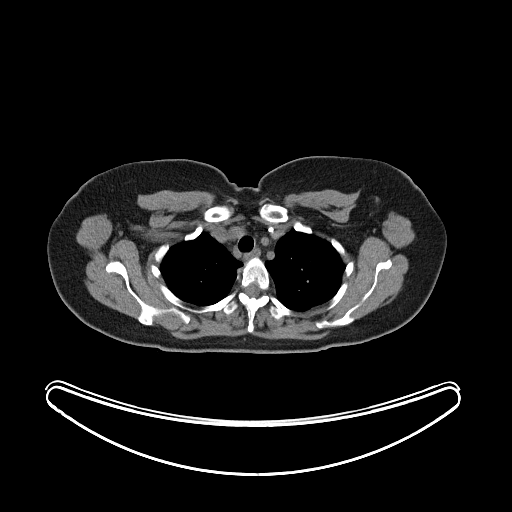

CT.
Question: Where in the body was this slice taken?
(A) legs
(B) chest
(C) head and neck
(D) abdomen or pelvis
Answer: (B) chest
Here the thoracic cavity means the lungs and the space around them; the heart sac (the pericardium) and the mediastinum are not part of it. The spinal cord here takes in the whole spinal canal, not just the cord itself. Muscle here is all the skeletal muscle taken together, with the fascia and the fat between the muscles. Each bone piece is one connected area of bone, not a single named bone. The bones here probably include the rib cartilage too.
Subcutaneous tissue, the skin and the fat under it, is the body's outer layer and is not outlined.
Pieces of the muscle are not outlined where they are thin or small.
The left arm is outlined by (406, 174) (407, 174) (422, 190) (428, 199) (429, 202) (432, 205) (443, 221) (443, 223) (446, 229) (446, 234) (447, 235) (446, 252) (443, 261) (428, 245) (410, 218) (410, 215) (406, 208) (405, 201) (402, 196) (402, 193) (401, 192) (401, 184) (402, 183) (402, 180). The mediastinum is outlined by (248, 218) (265, 224) (282, 224) (284, 226) (291, 227) (287, 232) (277, 240) (274, 247) (274, 257) (272, 259) (268, 259) (264, 262) (258, 256) (253, 256) (243, 262) (234, 257) (222, 243) (219, 242) (209, 233) (208, 230) (215, 226) (227, 225) (233, 222) (245, 220). The spinal cord is outlined by (253, 283) (254, 283) (255, 284) (256, 284) (257, 285) (257, 286) (260, 289) (260, 291) (261, 292) (260, 293) (260, 295) (258, 297) (254, 297) (253, 296) (249, 296) (245, 292) (245, 289) (246, 288) (246, 287) (247, 287) (250, 284) (252, 284). The muscle is outlined by (358, 188) (361, 194) (343, 234) (349, 249) (356, 250) (389, 210) (410, 220) (416, 244) (410, 253) (403, 287) (390, 302) (319, 339) (268, 339) (250, 334) (180, 339) (161, 326) (152, 326) (154, 317) (166, 313) (174, 314) (185, 324) (191, 319) (185, 311) (222, 311) (230, 315) (240, 303) (246, 311) (246, 330) (252, 333) (257, 311) (268, 304) (275, 320) (326, 302) (326, 311) (333, 308) (348, 288) (342, 279) (350, 276) (355, 262) (344, 262) (346, 251) (336, 238) (327, 240) (299, 220) (292, 227) (278, 223) (289, 219) (289, 211) (277, 203) (266, 202) (258, 209) (259, 216) (270, 223) (248, 217) (207, 230) (199, 223) (182, 240) (172, 245) (162, 243) (154, 253) (159, 265) (152, 263) (150, 271) (163, 279) (158, 287) (171, 304) (169, 307) (145, 302) (131, 287) (128, 271) (118, 259) (108, 261) (104, 269) (122, 277) (140, 307) (136, 319) (94, 299) (83, 282) (86, 258) (75, 238) (82, 220) (105, 213) (121, 230) (129, 230) (130, 225) (147, 221) (147, 214) (136, 203) (138, 194) (164, 189) (202, 190) (249, 203) (263, 196) (280, 198) (302, 191) (349, 192), around holes outlined by (387, 259) (391, 260) (391, 266) (387, 269) (381, 269) (378, 272) (377, 281) (372, 292) (350, 314) (354, 318) (350, 323) (340, 326) (330, 326) (323, 328) (318, 328) (316, 326) (316, 321) (324, 319) (329, 321) (339, 318) (358, 303) (373, 283) (377, 263) and by (219, 204) (226, 204) (228, 206) (231, 207) (233, 209) (233, 213) (232, 215) (226, 220) (223, 220) (222, 221) (219, 221) (218, 222) (208, 222) (204, 220) (204, 218) (203, 217) (203, 214) (204, 212) (209, 208) (215, 205) (218, 205). The thoracic cavity appears in 2 outlined pieces: piece 1: (292, 228) (298, 232) (306, 234) (312, 234) (313, 233) (328, 241) (339, 254) (345, 264) (341, 283) (335, 293) (329, 300) (304, 311) (297, 311) (291, 309) (281, 302) (276, 296) (270, 292) (271, 278) (265, 264) (266, 261) (272, 260) (275, 257) (275, 247) (278, 240); piece 2: (203, 231) (207, 231) (214, 239) (222, 244) (234, 258) (243, 263) (241, 267) (240, 280) (234, 287) (234, 289) (219, 300) (213, 303) (200, 306) (186, 302) (177, 296) (166, 285) (165, 281) (162, 277) (162, 274) (159, 266) (171, 246) (183, 240) (185, 241) (193, 240). The torso is outlined by (320, 155) (381, 160) (406, 173) (400, 192) (409, 218) (443, 263) (427, 301) (398, 329) (313, 352) (164, 351) (91, 328) (57, 293) (51, 273) (72, 248) (81, 218) (73, 194) (92, 176) (128, 162) (186, 158) (219, 168) (240, 186) (254, 187) (265, 173) (287, 161). The right arm is outlined by (72, 195) (77, 199) (80, 207) (80, 218) (79, 219) (79, 222) (76, 227) (75, 240) (72, 244) (71, 248) (66, 254) (64, 259) (59, 266) (50, 273) (50, 270) (48, 265) (48, 260) (47, 259) (47, 251) (46, 250) (48, 232) (52, 222) (60, 212) (66, 201). The bones appear in 11 outlined pieces: piece 1: (253, 257) (265, 265) (270, 278) (269, 292) (295, 314) (275, 319) (268, 303) (256, 311) (252, 332) (247, 330) (247, 311) (240, 302) (230, 314) (222, 310) (201, 313) (185, 310) (190, 316) (185, 323) (174, 313) (166, 312) (154, 316) (151, 325) (142, 324) (137, 320) (141, 307) (123, 277) (105, 269) (108, 262) (120, 261) (127, 271) (130, 287) (149, 305) (172, 306) (159, 287) (165, 284) (186, 306) (199, 308) (233, 291) (241, 280) (243, 264) with a hole at (253, 283) (254, 283) (255, 284) (256, 284) (257, 285) (257, 286) (260, 289) (260, 291) (261, 292) (260, 293) (260, 295) (258, 297) (254, 297) (253, 296) (249, 296) (245, 292) (245, 289) (246, 288) (246, 287) (247, 287) (250, 284) (252, 284); piece 2: (387, 259) (391, 260) (391, 266) (387, 269) (381, 269) (378, 272) (377, 281) (372, 292) (350, 314) (354, 318) (350, 323) (340, 326) (330, 326) (323, 328) (318, 328) (316, 326) (316, 321) (324, 319) (329, 321) (339, 318) (358, 303) (373, 283) (377, 263); piece 3: (266, 203) (272, 203) (273, 204) (277, 204) (278, 205) (280, 205) (281, 206) (286, 208) (288, 211) (288, 219) (284, 222) (278, 222) (277, 223) (271, 223) (270, 222) (268, 222) (267, 221) (264, 220) (260, 216) (260, 215) (259, 214) (259, 209) (264, 204) (265, 204); piece 4: (219, 204) (226, 204) (228, 206) (231, 207) (233, 209) (233, 213) (232, 215) (226, 220) (223, 220) (222, 221) (219, 221) (218, 222) (208, 222) (204, 220) (204, 218) (203, 217) (203, 214) (204, 212) (209, 208) (215, 205) (218, 205); piece 5: (342, 282) (346, 282) (347, 283) (347, 288) (344, 294) (342, 296) (340, 300) (333, 307) (332, 307) (330, 309) (328, 309) (326, 310) (325, 309) (326, 307) (329, 304) (329, 301) (330, 299) (336, 293) (336, 292) (340, 287); piece 6: (166, 243) (167, 243) (170, 246) (169, 247) (169, 248) (168, 249) (168, 250) (166, 252) (166, 253) (162, 258) (162, 259) (161, 260) (161, 261) (160, 262) (160, 263) (158, 263) (155, 260) (155, 253) (156, 252) (156, 251) (158, 249) (158, 248) (162, 244) (165, 244); piece 7: (295, 221) (299, 221) (300, 222) (301, 222) (303, 224) (304, 224) (305, 225) (307, 225) (308, 226) (309, 226) (312, 229) (312, 233) (306, 233) (305, 232) (302, 232) (301, 231) (298, 231) (297, 230) (296, 230) (295, 229) (294, 229) (293, 228) (293, 224); piece 8: (199, 224) (202, 225) (202, 226) (203, 227) (203, 230) (195, 238) (194, 238) (193, 239) (191, 239) (190, 240) (185, 240) (184, 239) (184, 237) (185, 236) (185, 235) (187, 233) (189, 233) (190, 232) (193, 231) (196, 228) (196, 227); piece 9: (331, 238) (334, 238) (335, 239) (336, 239) (339, 242) (340, 242) (340, 243) (343, 246) (343, 247) (344, 248) (344, 250) (345, 251) (345, 254) (344, 255) (344, 256) (342, 258) (342, 257) (340, 255) (340, 254) (334, 248) (334, 247) (331, 244) (331, 243) (329, 241); piece 10: (350, 261) (353, 261) (354, 262) (354, 268) (353, 269) (353, 270) (351, 272) (351, 273) (349, 275) (349, 276) (348, 276) (347, 277) (345, 277) (344, 276) (344, 271) (345, 270) (345, 267) (346, 266) (346, 264) (348, 262) (349, 262); piece 11: (152, 264) (154, 264) (155, 265) (156, 265) (157, 266) (158, 266) (158, 267) (159, 268) (159, 270) (160, 271) (160, 273) (161, 274) (161, 276) (160, 277) (156, 277) (155, 276) (154, 276) (154, 275) (152, 273) (152, 272) (151, 271) (151, 265).